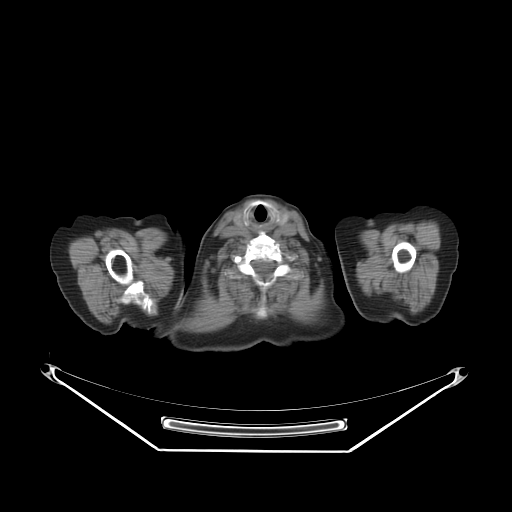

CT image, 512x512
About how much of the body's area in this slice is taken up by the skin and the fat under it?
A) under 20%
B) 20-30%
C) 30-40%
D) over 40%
Answer: C) 30-40%
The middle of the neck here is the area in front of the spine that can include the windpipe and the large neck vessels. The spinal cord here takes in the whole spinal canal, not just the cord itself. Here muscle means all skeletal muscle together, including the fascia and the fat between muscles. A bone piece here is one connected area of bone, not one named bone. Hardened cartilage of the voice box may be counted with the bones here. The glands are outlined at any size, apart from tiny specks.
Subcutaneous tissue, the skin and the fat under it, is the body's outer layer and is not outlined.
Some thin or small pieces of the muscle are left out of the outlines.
{"bones":[{"outer":[[261,231],[279,243],[283,254],[298,255],[289,265],[304,275],[297,279],[286,276],[278,277],[266,290],[264,301],[261,298],[262,294],[258,286],[249,275],[239,272],[239,277],[230,278],[224,274],[226,269],[236,267],[232,256],[242,255],[249,240]],"hole":[[254,260],[262,260],[263,261],[273,261],[275,263],[275,266],[272,271],[272,273],[271,274],[271,275],[268,278],[266,278],[265,279],[264,279],[263,278],[260,277],[260,276],[255,271],[255,269],[253,267],[253,266],[252,265],[252,261],[253,261]]},[[118,248],[122,249],[130,257],[133,265],[134,279],[141,280],[143,282],[144,291],[152,298],[155,298],[157,300],[157,314],[148,315],[133,303],[123,304],[118,301],[125,289],[125,286],[118,283],[112,278],[107,270],[104,260],[105,255],[111,249]],[[401,241],[407,241],[409,242],[415,247],[415,249],[416,250],[416,256],[415,257],[415,260],[413,263],[413,265],[408,271],[403,273],[399,273],[394,269],[393,267],[393,263],[391,259],[391,254],[392,253],[392,250],[394,246],[398,242],[400,242]],[[256,199],[265,200],[275,207],[278,210],[280,214],[280,221],[277,222],[275,220],[273,216],[273,210],[271,208],[266,206],[262,203],[258,203],[251,206],[249,208],[247,212],[247,220],[248,221],[248,224],[245,225],[243,221],[243,210],[250,201]],[[262,305],[263,305],[265,307],[265,309],[266,310],[266,312],[267,313],[267,316],[265,318],[259,318],[258,317],[257,317],[257,316],[256,315],[256,312],[257,311],[257,310],[259,308],[259,307],[260,306],[261,306]]],"right_arm":[[[83,213],[136,218],[152,213],[161,213],[172,227],[178,227],[185,234],[187,244],[186,286],[182,298],[170,313],[148,331],[133,328],[124,323],[115,334],[102,335],[84,324],[63,297],[50,266],[49,244],[52,234],[58,226],[68,225],[75,214]]],"muscle":[{"outer":[[256,197],[273,199],[295,210],[301,216],[303,224],[316,244],[316,250],[325,263],[330,296],[327,323],[319,327],[312,327],[299,324],[289,318],[255,320],[241,316],[232,324],[209,333],[189,333],[174,329],[188,293],[197,279],[214,227],[224,213]],"holes":[[[256,199],[269,202],[281,215],[287,213],[289,216],[287,221],[295,225],[295,234],[271,237],[279,243],[283,254],[298,255],[289,265],[304,275],[297,279],[286,276],[278,277],[266,290],[264,301],[258,286],[249,275],[239,272],[239,277],[230,278],[224,274],[226,269],[236,267],[232,256],[242,255],[246,244],[254,237],[236,235],[232,231],[232,225],[235,223],[233,218],[238,214],[241,215],[248,203]],[[262,305],[263,305],[265,307],[265,309],[266,310],[266,312],[267,313],[267,316],[265,318],[259,318],[258,317],[257,317],[257,316],[256,315],[256,312],[257,311],[257,310],[259,308],[259,307],[260,306],[261,306]]]},{"outer":[[110,226],[134,232],[146,227],[158,227],[167,232],[168,240],[164,247],[173,258],[175,279],[163,304],[167,307],[162,315],[150,317],[135,306],[127,306],[112,323],[105,324],[89,311],[77,284],[76,271],[69,260],[67,245],[70,239],[85,232]],"hole":[[118,248],[122,249],[130,257],[133,265],[134,279],[141,280],[143,282],[144,291],[152,298],[155,298],[157,300],[157,314],[148,315],[133,303],[123,304],[118,301],[125,289],[125,286],[118,283],[112,278],[107,270],[104,260],[105,255],[111,249]]},{"outer":[[423,219],[433,219],[438,222],[444,246],[436,289],[430,303],[419,313],[412,314],[406,307],[399,307],[382,299],[370,298],[364,295],[355,277],[356,259],[354,256],[354,241],[358,232],[363,229],[377,229],[381,231],[393,222],[418,222]],"hole":[[401,241],[407,241],[409,242],[415,247],[415,249],[416,250],[416,256],[415,257],[415,260],[413,263],[413,265],[408,271],[403,273],[399,273],[394,269],[393,267],[393,263],[391,259],[391,254],[392,253],[392,250],[394,246],[398,242],[400,242]]}],"middle_of_the_neck":[[[258,204],[262,204],[271,209],[274,220],[281,226],[288,222],[294,224],[296,233],[289,236],[270,236],[261,230],[254,236],[236,235],[232,231],[232,225],[235,224],[238,227],[243,225],[242,222],[242,213],[242,221],[244,225],[247,226],[249,224],[248,212],[251,207]]],"thyroid_glands":[[[238,214],[240,214],[241,215],[241,222],[242,223],[242,225],[241,226],[238,226],[233,221],[233,218],[234,217],[235,217]],[[286,213],[287,213],[288,214],[288,215],[289,216],[289,218],[288,219],[288,220],[286,222],[285,222],[282,225],[281,225],[279,223],[281,221],[281,215],[282,215],[283,214],[285,214]]],"torso":[[[191,275],[195,290],[205,310],[206,316],[210,324],[222,332],[257,344],[247,349],[236,352],[211,352],[210,351],[192,352],[177,349],[173,347],[167,340],[156,339],[151,336],[151,332],[149,331],[170,314],[177,307],[183,298],[186,287],[190,281]],[[335,297],[335,300],[343,310],[346,317],[346,320],[347,321],[346,327],[341,334],[330,340],[323,341],[322,342],[311,342],[310,343],[302,342],[291,347],[278,347],[277,346],[275,346],[289,344],[305,336],[311,332],[328,314],[334,303]]],"spinal_cord":[[[254,260],[262,260],[263,261],[273,261],[275,263],[275,266],[272,271],[272,273],[271,274],[271,275],[268,278],[266,278],[265,279],[264,279],[263,278],[260,277],[260,276],[255,271],[255,269],[253,267],[253,266],[252,265],[252,261],[253,261]]],"head_and_neck":[[[252,193],[269,193],[277,195],[299,207],[307,218],[311,232],[322,240],[330,257],[334,270],[334,300],[329,311],[311,331],[286,344],[273,345],[264,341],[255,343],[222,331],[212,325],[198,295],[191,274],[199,243],[205,230],[226,206],[239,198]]],"left_arm":[[[421,203],[433,205],[446,212],[454,221],[459,235],[457,268],[452,275],[445,301],[435,317],[418,326],[411,326],[399,320],[388,324],[379,324],[366,320],[354,307],[346,289],[334,238],[335,225],[344,215],[360,214],[369,217],[381,212],[403,212]]]}